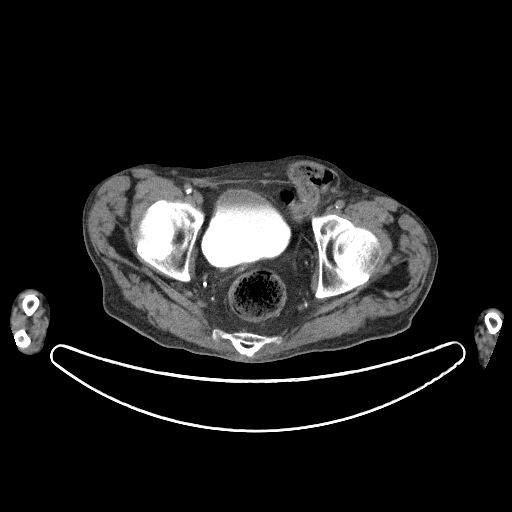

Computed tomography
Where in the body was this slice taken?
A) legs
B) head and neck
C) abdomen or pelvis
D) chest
C) abdomen or pelvis
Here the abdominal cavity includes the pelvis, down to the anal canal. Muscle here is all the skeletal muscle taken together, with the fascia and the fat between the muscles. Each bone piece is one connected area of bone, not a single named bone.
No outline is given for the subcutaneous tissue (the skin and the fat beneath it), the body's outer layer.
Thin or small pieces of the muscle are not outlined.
{"right_arm":[[[27,287],[32,287],[42,292],[46,297],[50,307],[50,320],[47,328],[47,333],[44,341],[43,348],[41,351],[33,355],[27,355],[19,351],[18,349],[19,348],[14,337],[14,333],[10,327],[10,321],[9,320],[10,308],[13,299],[18,292]]],"torso":[[[295,154],[310,155],[335,164],[353,179],[407,206],[429,228],[437,244],[438,263],[431,287],[409,328],[390,337],[343,349],[309,352],[263,363],[242,363],[162,346],[104,311],[101,281],[87,253],[82,234],[82,210],[95,185],[138,164],[206,168]]],"muscle":[[[297,160],[318,162],[335,170],[339,175],[339,190],[390,198],[421,226],[431,260],[417,297],[406,309],[379,317],[352,333],[278,354],[252,357],[266,344],[281,344],[280,335],[270,335],[287,326],[313,297],[338,296],[365,284],[383,251],[378,237],[368,228],[336,213],[321,214],[337,186],[337,185],[337,178],[334,174],[326,169],[310,165],[296,169],[294,184],[198,186],[201,208],[187,201],[158,198],[146,208],[135,227],[137,255],[174,280],[185,283],[191,280],[189,266],[195,247],[191,286],[203,309],[229,331],[215,327],[211,338],[230,341],[239,354],[247,357],[201,346],[158,329],[124,299],[110,269],[95,251],[88,231],[89,212],[106,181],[136,168],[187,177],[286,179],[288,165]],{"outer":[[26,291],[33,291],[40,295],[43,298],[46,306],[47,319],[46,328],[37,350],[34,351],[24,351],[19,348],[19,347],[27,348],[31,343],[31,338],[24,328],[19,328],[15,331],[13,331],[12,328],[11,318],[14,304],[16,303],[18,298]],"hole":[[27,293],[33,293],[35,294],[37,296],[39,300],[39,303],[38,304],[38,306],[37,308],[35,310],[35,311],[30,316],[28,316],[24,312],[22,308],[22,301],[23,300],[23,298],[25,294]]},[[482,321],[484,322],[485,327],[487,331],[490,334],[494,335],[500,330],[499,332],[499,336],[497,338],[497,344],[496,347],[494,349],[488,361],[488,363],[486,365],[485,365],[483,362],[482,355],[477,342],[477,331],[480,326],[480,323]]],"left_arm":[[[490,306],[494,306],[499,308],[503,312],[503,317],[501,318],[501,323],[499,327],[500,331],[499,336],[497,338],[496,347],[494,349],[488,363],[484,368],[482,368],[479,364],[477,358],[477,350],[473,335],[473,329],[477,317],[480,312],[483,309]]],"bones":[[[326,214],[336,214],[340,217],[349,220],[356,226],[364,227],[368,229],[377,237],[382,251],[378,261],[371,271],[368,280],[365,283],[338,295],[317,298],[314,296],[314,294],[316,291],[318,282],[319,262],[318,249],[312,229],[311,218],[313,215]],[[158,199],[164,199],[168,201],[177,201],[178,200],[182,202],[187,202],[200,208],[204,213],[204,220],[197,233],[195,242],[190,254],[188,266],[190,280],[187,282],[174,279],[162,273],[144,261],[137,253],[135,241],[137,224],[143,216],[147,208]],[[215,328],[218,328],[227,332],[249,332],[267,336],[277,335],[282,338],[282,341],[279,344],[274,342],[266,343],[256,351],[251,357],[248,357],[239,353],[230,340],[220,337],[216,340],[214,340],[212,338],[212,330]],[[488,311],[495,311],[496,312],[497,312],[497,313],[501,318],[501,323],[500,324],[499,329],[497,331],[497,332],[494,334],[492,334],[491,333],[490,333],[488,331],[488,330],[486,327],[485,322],[484,321],[484,316]],[[27,293],[33,293],[35,294],[37,296],[39,300],[39,303],[38,304],[38,306],[37,308],[35,310],[35,311],[30,316],[28,316],[24,312],[22,308],[22,301],[23,300],[23,298],[25,294]],[[19,329],[24,329],[25,330],[26,333],[30,338],[30,343],[29,344],[29,345],[27,347],[22,347],[21,346],[19,346],[18,347],[18,346],[16,343],[16,341],[15,340],[15,338],[14,337],[14,332],[15,332],[17,330],[18,330]]],"abdominal_cavity":[[[302,166],[326,170],[336,178],[336,186],[323,211],[310,218],[317,249],[317,262],[309,288],[313,296],[287,325],[275,333],[230,331],[220,326],[204,309],[191,283],[195,277],[195,243],[205,220],[203,196],[197,188],[246,183],[294,185],[294,174]]]}